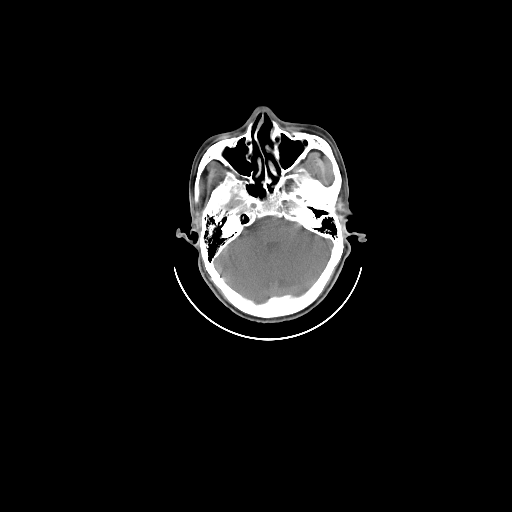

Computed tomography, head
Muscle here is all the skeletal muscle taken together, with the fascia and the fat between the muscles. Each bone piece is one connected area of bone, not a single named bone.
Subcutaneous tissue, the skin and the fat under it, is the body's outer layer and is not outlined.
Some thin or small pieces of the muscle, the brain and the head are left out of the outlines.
Outlined structures:
bones: [[260,112],[265,113],[257,134],[260,145],[264,155],[278,171],[274,156],[264,148],[266,144],[271,144],[269,132],[272,119],[287,131],[303,131],[323,138],[331,147],[342,178],[336,200],[338,217],[344,231],[341,257],[324,289],[309,305],[277,317],[251,315],[230,303],[210,279],[197,243],[202,209],[228,169],[218,160],[211,160],[200,175],[199,201],[195,202],[194,182],[200,159],[210,145],[222,138],[243,133]] with holes at [[265,217],[282,218],[286,221],[296,223],[309,232],[328,240],[331,243],[331,247],[329,256],[319,275],[302,293],[298,295],[289,293],[272,295],[263,302],[256,302],[241,294],[226,281],[216,267],[215,260],[222,250],[237,238],[245,228]] and at [[311,150],[317,150],[321,152],[330,161],[330,163],[331,164],[331,167],[332,168],[332,173],[333,174],[333,180],[329,185],[325,185],[318,178],[316,177],[314,177],[304,166],[300,166],[299,165],[301,161],[302,161],[307,156],[308,153]] and at [[240,140],[243,140],[243,143],[247,148],[244,155],[247,162],[249,163],[252,162],[252,157],[254,152],[253,144],[254,143],[259,152],[256,158],[256,169],[255,170],[251,169],[248,174],[244,174],[238,171],[224,155],[227,149],[235,148]] and at [[283,135],[286,136],[290,140],[291,140],[292,141],[299,142],[301,144],[303,144],[301,151],[298,154],[298,155],[295,158],[295,159],[291,163],[291,164],[287,167],[283,167],[283,166],[280,161],[280,149],[279,148],[279,146],[282,141],[282,136]] and at [[262,173],[262,175],[263,176],[263,177],[262,178],[262,179],[259,182],[260,183],[260,185],[261,186],[261,188],[263,190],[263,195],[254,195],[253,194],[252,194],[248,190],[248,185],[254,185],[257,182],[257,180],[258,179],[258,178]]
brain: [[265,217],[282,218],[286,221],[296,223],[309,232],[328,240],[331,243],[331,247],[329,256],[319,275],[302,293],[298,295],[289,293],[272,295],[263,302],[256,302],[241,294],[226,281],[216,267],[215,260],[222,250],[237,238],[245,228]]
head: [[259,104],[282,120],[316,124],[331,134],[347,172],[353,213],[345,226],[366,237],[364,242],[356,234],[347,237],[349,255],[315,308],[272,324],[244,319],[217,299],[199,271],[190,242],[198,235],[189,231],[188,182],[196,151],[208,137],[240,126]], around holes outlined by [[240,140],[243,140],[243,143],[247,148],[244,155],[247,162],[249,163],[252,162],[252,157],[254,152],[253,144],[254,143],[259,152],[256,158],[256,169],[255,170],[251,169],[248,174],[244,174],[238,171],[224,155],[227,149],[235,148]] and by [[283,135],[286,136],[290,140],[291,140],[292,141],[299,142],[301,144],[303,144],[301,151],[298,154],[298,155],[295,158],[295,159],[291,163],[291,164],[287,167],[283,167],[283,166],[280,161],[280,149],[279,148],[279,146],[282,141],[282,136]] and by [[265,114],[268,116],[271,124],[271,126],[268,132],[268,137],[270,141],[270,144],[269,143],[266,143],[263,146],[263,148],[264,150],[267,153],[271,154],[273,156],[278,170],[275,164],[265,155],[265,153],[263,147],[261,145],[261,142],[258,135],[259,131],[264,123]] and by [[262,173],[262,175],[263,176],[263,177],[262,178],[262,179],[259,182],[260,183],[260,185],[261,186],[261,188],[263,190],[263,195],[254,195],[253,194],[252,194],[248,190],[248,185],[254,185],[257,182],[257,180],[258,179],[258,178]]
muscle 1: [[211,161],[218,161],[227,169],[225,171],[223,178],[211,190],[208,198],[205,201],[201,209],[200,212],[200,221],[199,222],[199,230],[197,225],[197,216],[196,215],[195,203],[198,203],[200,201],[200,187],[199,183],[201,175],[206,166]]
muscle 2: [[311,150],[317,150],[321,152],[330,161],[330,163],[331,164],[331,167],[332,168],[332,173],[333,174],[333,180],[329,185],[325,185],[318,178],[316,177],[314,177],[304,166],[300,166],[299,165],[301,161],[302,161],[307,156],[308,153]]
muscle 3: [[283,128],[304,128],[306,130],[311,130],[312,131],[314,131],[315,132],[320,133],[323,136],[324,136],[330,142],[330,143],[332,145],[333,147],[333,149],[335,152],[335,155],[337,158],[337,161],[335,157],[335,155],[333,152],[332,147],[330,145],[330,144],[323,137],[315,133],[312,133],[311,132],[308,132],[307,131],[304,131],[303,130],[291,130],[290,131],[289,130],[287,130]]